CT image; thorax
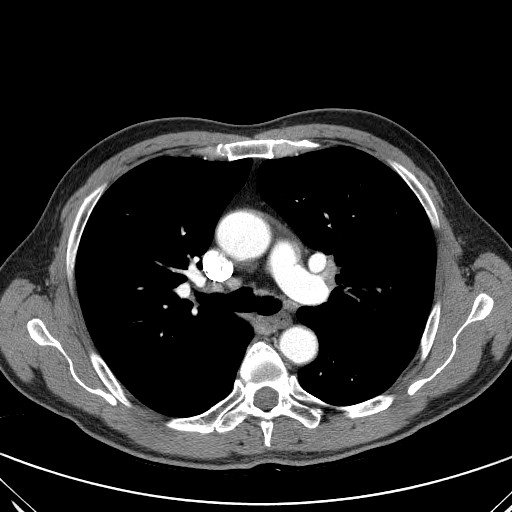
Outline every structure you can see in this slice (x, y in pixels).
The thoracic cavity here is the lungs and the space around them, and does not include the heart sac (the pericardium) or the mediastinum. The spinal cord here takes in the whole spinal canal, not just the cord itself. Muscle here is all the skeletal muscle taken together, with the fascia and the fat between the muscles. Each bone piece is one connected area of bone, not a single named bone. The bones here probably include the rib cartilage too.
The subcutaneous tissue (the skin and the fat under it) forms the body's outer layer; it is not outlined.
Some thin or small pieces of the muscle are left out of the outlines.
The spinal cord is outlined by 264,387 269,387 270,388 271,388 273,390 274,390 277,394 277,402 272,407 271,407 269,409 267,409 266,410 265,409 263,409 262,408 257,406 254,402 254,396 255,395 256,392 260,389 261,389. The torso is outlined by 325,107 375,112 409,130 433,151 467,201 511,246 511,361 489,387 401,440 333,463 263,463 206,471 154,463 114,449 12,386 0,371 0,265 33,228 58,181 78,157 109,134 143,120 191,116 252,124. The mediastinum is outlined by 253,158 264,159 256,174 261,197 304,244 306,265 320,282 318,301 296,311 297,319 315,332 319,351 296,375 288,371 271,345 262,340 250,344 253,328 213,293 202,272 201,257 212,242 223,210 246,182. The muscle is outlined by 308,123 325,123 343,125 363,130 369,132 399,148 433,181 442,200 443,212 447,218 454,236 462,250 459,264 463,267 468,267 473,263 479,254 487,251 495,253 508,264 511,268 511,340 507,345 505,351 495,364 477,372 470,379 456,389 445,393 439,397 434,398 419,413 416,414 407,424 393,432 377,439 334,450 321,450 320,451 268,450 263,453 255,455 233,454 230,456 217,458 193,458 174,454 167,454 152,450 145,446 135,443 123,433 108,426 100,418 65,402 51,394 40,384 28,383 24,381 15,373 7,362 3,353 0,351 0,296 11,281 17,277 28,279 32,283 40,286 46,284 45,280 49,276 48,267 54,258 55,254 54,247 58,245 62,232 62,224 60,220 61,211 70,196 86,181 88,177 98,166 116,153 139,141 165,133 189,130 205,130 213,132 245,135 248,137 252,137 255,134 265,130; inner edges: 268,138 347,145 385,164 389,158 426,189 439,221 432,229 432,303 441,306 424,360 415,354 384,392 395,395 387,408 354,418 326,408 313,428 280,415 269,447 251,415 223,433 180,431 130,393 128,407 85,389 74,379 63,354 55,346 38,344 27,329 30,319 39,318 70,358 77,376 109,391 89,357 97,349 76,281 71,291 67,278 67,242 83,198 159,155, then 481,292 486,292 492,297 493,306 491,311 483,319 472,321 464,327 456,339 455,352 450,361 432,379 424,383 413,394 409,395 406,391 412,383 421,378 428,377 449,356 453,347 453,336 466,320 476,296. The thoracic cavity appears in 2 outlined pieces: piece 1: 164,154 193,154 206,160 229,162 252,159 245,182 222,210 200,260 201,272 206,275 212,293 250,325 253,337 228,394 206,410 183,417 170,417 146,406 117,379 89,333 75,280 80,241 103,193 128,170; piece 2: 333,145 354,147 388,165 423,208 436,246 432,305 417,351 384,392 347,405 328,403 299,383 298,371 318,357 320,342 316,332 298,319 297,311 319,301 321,282 307,265 305,244 264,200 257,185 265,159. The bones appear in 7 outlined pieces: piece 1: 259,341 276,351 305,391 328,404 347,406 383,393 395,398 383,410 354,418 326,408 313,428 280,415 273,420 269,447 264,445 259,420 251,415 223,433 169,428 164,423 170,418 200,414 227,396 247,347, around a hole outlined by 264,387 269,387 270,388 271,388 273,390 274,390 277,394 277,402 272,407 271,407 269,409 267,409 266,410 265,409 263,409 262,408 257,406 254,402 254,396 255,395 256,392 260,389 261,389; piece 2: 268,138 286,138 292,140 308,139 318,142 322,145 328,145 296,155 288,155 270,159 261,157 245,157 229,161 226,159 206,159 203,158 201,155 194,154 192,152 194,149 205,147 208,145 215,145 218,143; piece 3: 35,317 58,340 70,358 75,373 86,385 109,391 90,360 89,352 93,349 129,393 127,397 133,406 128,407 120,401 112,405 102,396 80,385 71,374 66,358 55,346 40,345 29,335 27,322; piece 4: 104,182 107,183 107,187 93,207 85,224 79,241 75,257 74,282 72,286 72,291 71,291 68,283 67,270 66,269 66,251 67,250 67,242 70,230 78,208 82,202 83,198 93,189; piece 5: 481,292 486,292 492,297 493,306 491,311 483,319 472,321 464,327 456,339 455,352 450,361 432,379 424,383 413,394 409,395 406,391 412,383 421,378 428,377 449,356 453,347 453,336 466,320 476,296; piece 6: 388,158 397,161 409,170 418,179 426,189 435,207 437,213 437,216 438,217 438,220 439,221 439,228 434,229 432,227 430,221 426,214 426,212 420,203 419,200 412,190 408,186 406,182 387,163 386,159; piece 7: 437,300 439,300 441,303 441,306 440,307 440,316 439,317 439,322 437,326 437,330 431,347 426,357 424,360 421,362 419,358 417,356 416,357 416,355 418,353 420,340 423,334 430,311 433,304.